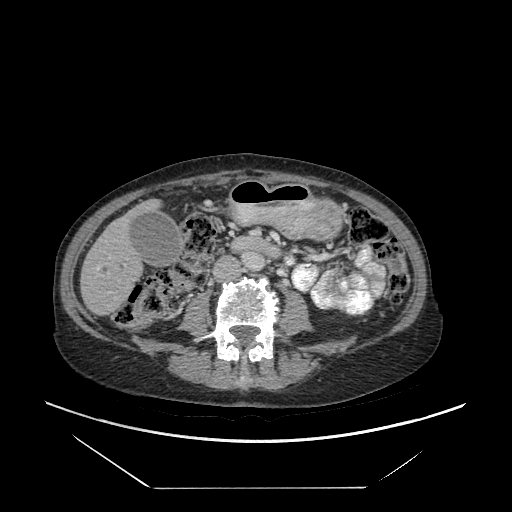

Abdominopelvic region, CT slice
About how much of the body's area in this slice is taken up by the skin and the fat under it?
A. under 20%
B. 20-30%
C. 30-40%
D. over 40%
B. 20-30%
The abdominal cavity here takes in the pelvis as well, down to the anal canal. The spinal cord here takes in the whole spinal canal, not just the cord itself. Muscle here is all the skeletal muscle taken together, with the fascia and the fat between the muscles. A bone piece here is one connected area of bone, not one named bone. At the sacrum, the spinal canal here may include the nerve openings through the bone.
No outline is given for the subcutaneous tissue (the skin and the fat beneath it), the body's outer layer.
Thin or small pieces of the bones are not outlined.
{"torso":[[[244,152],[294,158],[347,172],[386,194],[403,208],[424,242],[433,291],[443,314],[441,338],[432,356],[414,373],[376,391],[338,403],[294,408],[142,399],[97,386],[72,373],[52,337],[52,285],[57,250],[75,219],[111,190],[164,166],[198,157]]],"muscle":[{"outer":[[244,168],[246,169],[273,170],[274,171],[280,171],[287,173],[293,173],[294,174],[298,174],[301,176],[316,179],[320,181],[354,189],[373,197],[389,208],[403,222],[416,240],[421,251],[425,264],[426,278],[427,279],[425,299],[423,303],[423,306],[421,308],[417,317],[411,325],[402,331],[383,339],[376,344],[347,354],[336,355],[329,358],[310,378],[302,382],[292,384],[288,387],[280,389],[256,389],[252,388],[248,390],[238,390],[237,389],[234,390],[220,390],[215,388],[207,387],[202,384],[195,384],[180,379],[170,373],[154,359],[144,353],[134,352],[128,349],[112,344],[107,341],[104,341],[101,339],[94,337],[78,326],[67,314],[63,308],[60,297],[60,275],[61,274],[61,268],[64,256],[72,238],[78,229],[98,209],[113,199],[128,192],[134,191],[143,187],[147,187],[157,183],[161,183],[169,180],[180,179],[181,178],[185,178],[186,177],[190,177],[206,173],[214,173],[222,170],[234,170],[235,169],[243,169]],"hole":[[242,178],[309,184],[368,208],[399,240],[413,271],[401,314],[368,336],[311,341],[306,300],[281,287],[273,357],[246,363],[217,357],[212,337],[193,341],[215,326],[210,289],[185,307],[182,341],[103,330],[74,287],[79,257],[100,225],[143,195]]}],"spinal_cord":[[[242,325],[244,326],[253,326],[254,327],[257,327],[259,329],[259,331],[258,333],[254,336],[254,338],[253,340],[251,342],[250,342],[248,344],[244,346],[242,346],[241,345],[239,340],[231,332],[230,330],[230,329],[234,326],[241,326]]],"bones":[{"outer":[[243,276],[256,280],[265,276],[269,281],[268,287],[279,297],[277,305],[280,308],[274,324],[278,335],[273,342],[273,357],[246,363],[241,359],[236,362],[217,357],[216,342],[212,337],[193,341],[193,338],[214,328],[215,307],[222,284],[236,282]],"hole":[[242,325],[244,326],[253,326],[254,327],[257,327],[259,329],[259,331],[258,333],[254,336],[254,338],[253,340],[251,342],[250,342],[248,344],[244,346],[242,346],[241,345],[239,340],[231,332],[230,330],[230,329],[234,326],[241,326]]}],"abdominal_cavity":[[[242,178],[309,184],[368,208],[413,271],[401,314],[368,336],[311,341],[299,292],[281,287],[280,307],[265,275],[243,275],[221,284],[215,318],[210,289],[189,301],[178,325],[188,335],[182,341],[103,330],[74,287],[79,257],[100,225],[143,195]]]}